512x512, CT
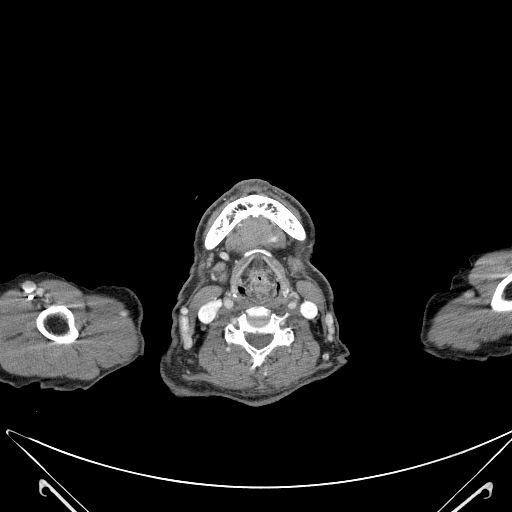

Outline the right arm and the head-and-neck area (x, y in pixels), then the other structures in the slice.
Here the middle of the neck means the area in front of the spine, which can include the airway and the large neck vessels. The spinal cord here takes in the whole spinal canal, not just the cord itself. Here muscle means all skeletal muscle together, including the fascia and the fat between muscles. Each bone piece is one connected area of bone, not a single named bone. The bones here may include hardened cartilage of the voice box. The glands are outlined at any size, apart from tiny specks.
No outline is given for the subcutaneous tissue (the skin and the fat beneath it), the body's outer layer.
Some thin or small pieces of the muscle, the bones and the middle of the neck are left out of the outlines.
{"right_arm":[[[40,271],[51,272],[89,289],[99,285],[123,285],[131,289],[143,306],[141,322],[141,331],[145,340],[143,356],[137,361],[107,375],[85,390],[80,388],[71,391],[42,389],[36,382],[15,388],[7,383],[0,382],[0,283],[21,273],[36,273]]],"head_and_neck":[[[254,178],[265,180],[289,193],[308,213],[315,231],[312,263],[329,284],[339,337],[349,350],[347,363],[334,373],[261,406],[251,406],[221,396],[197,396],[181,372],[170,347],[172,311],[194,261],[193,244],[199,222],[208,207],[224,192],[242,180]]],"left_arm":[[[509,245],[511,246],[511,355],[489,357],[485,361],[465,360],[459,362],[440,358],[424,351],[421,347],[422,344],[419,335],[424,308],[429,297],[437,291],[446,291],[449,288],[451,278],[458,269],[460,267],[467,267],[469,265],[470,255],[484,249]]],"torso":[[[169,345],[169,347],[172,353],[174,361],[179,368],[180,372],[185,378],[188,385],[192,390],[193,393],[197,397],[185,397],[184,398],[176,398],[174,397],[168,391],[166,386],[164,384],[159,372],[159,361],[160,360],[160,357],[162,352],[165,350]]],"middle_of_the_neck":[[[256,258],[259,258],[263,260],[271,268],[280,284],[280,287],[282,290],[281,291],[283,295],[284,296],[287,295],[286,297],[283,299],[270,300],[269,301],[252,301],[251,300],[239,301],[237,299],[234,299],[237,296],[236,285],[239,276],[250,262]]],"bones":[[[250,194],[266,195],[285,206],[302,224],[306,235],[305,238],[303,240],[298,240],[290,236],[278,225],[262,215],[256,217],[249,215],[236,224],[223,239],[212,249],[209,250],[206,249],[204,246],[204,239],[206,233],[224,207],[228,203],[242,196]],{"outer":[[254,305],[262,305],[280,316],[288,312],[289,316],[286,319],[286,325],[292,328],[294,340],[289,346],[277,346],[274,348],[265,361],[251,371],[249,369],[252,364],[250,355],[238,344],[232,343],[228,345],[224,338],[224,327],[232,316],[237,316]],"hole":[[245,333],[253,333],[254,334],[255,334],[256,333],[257,334],[271,334],[272,335],[272,338],[269,342],[269,343],[268,343],[266,345],[265,345],[261,348],[257,348],[256,347],[253,346],[247,341],[247,340],[246,339],[246,337],[245,336]]},[[53,304],[56,305],[66,305],[68,306],[74,314],[76,325],[79,331],[79,335],[74,342],[69,344],[58,344],[55,343],[51,339],[46,337],[41,333],[37,328],[36,326],[36,318],[38,316],[39,313],[42,310],[47,308],[50,305]],[[511,272],[511,311],[503,311],[502,312],[496,312],[495,311],[492,311],[489,306],[489,301],[490,300],[490,298],[491,297],[491,295],[492,294],[492,293],[493,292],[495,287],[497,285],[497,284],[504,277],[505,277],[507,275],[508,275]],[[257,248],[265,249],[271,255],[270,256],[266,256],[260,252],[255,252],[252,255],[253,257],[252,259],[248,262],[237,278],[235,285],[236,287],[236,296],[234,297],[232,291],[233,283],[242,266],[249,259],[248,257],[244,256],[244,253],[246,251]],[[263,257],[265,257],[268,262],[278,272],[280,276],[280,278],[282,280],[286,288],[288,290],[287,291],[288,293],[286,295],[284,295],[282,291],[283,290],[281,287],[281,284],[276,274],[274,272],[273,269],[271,267],[271,266],[264,260],[264,258]]],"muscle":[{"outer":[[249,216],[255,218],[262,216],[278,226],[290,237],[298,241],[305,241],[304,247],[299,253],[300,259],[305,265],[309,275],[318,284],[323,293],[325,310],[331,317],[334,335],[337,338],[339,349],[343,354],[339,364],[319,370],[300,379],[290,387],[263,394],[249,394],[246,391],[221,388],[207,382],[189,383],[176,377],[171,370],[171,363],[180,333],[179,315],[199,280],[203,243],[206,250],[212,250],[236,225]],"holes":[[[254,305],[262,305],[280,316],[288,312],[289,316],[286,319],[286,325],[292,328],[294,340],[289,346],[277,346],[274,348],[265,361],[251,371],[249,369],[252,364],[250,355],[238,344],[232,343],[228,345],[224,338],[224,327],[232,316],[237,316]],[[257,248],[265,249],[271,254],[270,256],[266,256],[265,258],[278,272],[280,278],[288,290],[287,296],[283,299],[269,301],[239,301],[237,299],[234,299],[232,296],[232,286],[235,278],[242,266],[249,259],[248,257],[244,256],[244,253],[246,251]],[[217,264],[221,264],[223,266],[223,273],[220,273],[216,269],[216,266],[217,265]]]},{"outer":[[47,278],[67,282],[80,289],[85,294],[105,294],[123,301],[138,331],[139,345],[132,358],[125,363],[101,369],[99,374],[91,380],[70,379],[66,377],[43,378],[38,376],[18,376],[4,370],[0,366],[0,294],[17,286],[26,279],[36,282]],"hole":[[53,304],[56,305],[66,305],[68,306],[74,314],[76,325],[79,331],[79,335],[74,342],[69,344],[58,344],[55,343],[51,339],[46,337],[41,333],[37,328],[36,326],[36,318],[38,316],[39,313],[42,310],[47,308],[50,305]]},[[500,250],[511,250],[511,271],[494,287],[488,301],[488,306],[492,312],[511,312],[511,335],[483,342],[472,351],[456,350],[449,346],[437,347],[427,341],[426,334],[432,318],[448,300],[467,288],[468,284],[465,277],[474,265],[474,262],[486,253]],[[246,185],[264,186],[269,190],[281,195],[298,211],[301,217],[302,223],[285,205],[278,200],[263,193],[250,193],[246,195],[242,195],[234,200],[228,202],[223,207],[207,229],[203,241],[202,236],[205,229],[205,225],[215,209],[241,187]]],"spinal_cord":[[[245,333],[253,333],[254,334],[255,334],[256,333],[257,334],[271,334],[272,335],[272,338],[269,342],[269,343],[268,343],[266,345],[265,345],[261,348],[257,348],[256,347],[253,346],[247,341],[247,340],[246,339],[246,337],[245,336]]],"submandibular_glands":[[[217,264],[221,264],[223,266],[223,273],[220,273],[216,269],[216,266],[217,265]]]}